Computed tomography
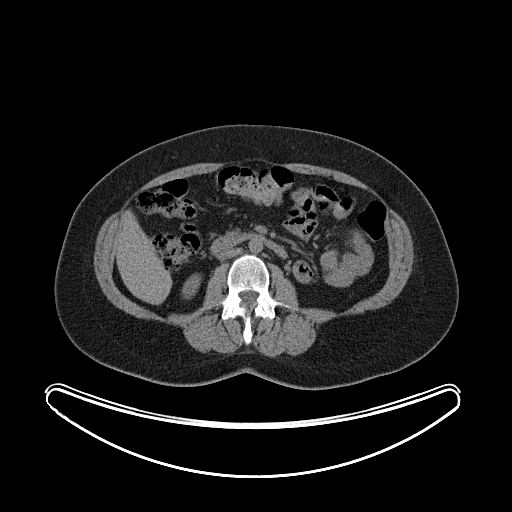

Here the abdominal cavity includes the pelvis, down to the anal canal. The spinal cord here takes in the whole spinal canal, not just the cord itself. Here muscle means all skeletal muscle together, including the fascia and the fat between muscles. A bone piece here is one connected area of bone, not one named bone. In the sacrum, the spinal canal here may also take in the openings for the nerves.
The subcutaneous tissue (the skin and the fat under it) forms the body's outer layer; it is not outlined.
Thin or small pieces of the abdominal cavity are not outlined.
abdominal cavity: (253, 160) (355, 186) (381, 200) (387, 209) (388, 245) (388, 274) (381, 288) (340, 311) (301, 307) (295, 286) (279, 266) (244, 253) (229, 267) (229, 262) (222, 263) (210, 272) (202, 304) (191, 312) (163, 316) (126, 296) (113, 277) (114, 254) (132, 199) (174, 178)
bones: (244, 254) (254, 255) (264, 262) (270, 277) (269, 293) (277, 301) (291, 307) (277, 305) (274, 308) (275, 316) (273, 318) (252, 315) (252, 337) (249, 344) (246, 344) (243, 338) (244, 320) (240, 316) (222, 319) (222, 305) (220, 303) (228, 292) (228, 270) (232, 262), around a hole outlined by (251, 290) (252, 291) (255, 291) (258, 293) (258, 295) (255, 300) (255, 304) (254, 304) (253, 305) (252, 304) (251, 305) (247, 305) (244, 303) (243, 303) (242, 304) (241, 303) (242, 302) (242, 299) (239, 296) (239, 293) (240, 292) (242, 292) (243, 291) (250, 291)
spinal cord: (251, 290) (252, 291) (255, 291) (258, 293) (258, 295) (255, 300) (255, 304) (254, 304) (253, 305) (252, 304) (251, 305) (247, 305) (244, 303) (243, 303) (242, 304) (241, 303) (242, 302) (242, 299) (239, 296) (239, 293) (240, 292) (242, 292) (243, 291) (250, 291)
muscle: (248, 157) (251, 158) (253, 157) (263, 157) (269, 160) (277, 161) (281, 163) (294, 163) (295, 162) (296, 163) (307, 163) (313, 165) (318, 165) (323, 167) (336, 169) (355, 177) (374, 189) (380, 194) (385, 200) (386, 203) (403, 218) (408, 226) (413, 241) (414, 261) (412, 265) (412, 271) (400, 293) (390, 303) (385, 306) (374, 310) (367, 310) (364, 313) (361, 314) (355, 314) (354, 315) (343, 316) (339, 318) (334, 318) (323, 323) (317, 331) (316, 339) (312, 345) (303, 353) (295, 356) (287, 355) (284, 353) (278, 355) (276, 357) (270, 357) (258, 352) (255, 348) (252, 346) (249, 347) (244, 346) (239, 349) (237, 352) (233, 354) (219, 353) (215, 351) (211, 351) (208, 353) (202, 353) (194, 349) (187, 342) (182, 333) (182, 330) (179, 327) (175, 327) (157, 321) (152, 321) (151, 320) (146, 320) (141, 318) (137, 318) (116, 307) (111, 303) (103, 293) (94, 272) (93, 255) (95, 250) (96, 237) (101, 225) (107, 217) (117, 211) (121, 207) (125, 200) (136, 189) (154, 177) (179, 167) (182, 167) (199, 162) (225, 162) (228, 160) (235, 158) (247, 158), around a hole outlined by (253, 160) (381, 200) (381, 288) (340, 311) (301, 307) (295, 286) (268, 262) (269, 293) (291, 307) (277, 305) (273, 318) (252, 315) (249, 344) (240, 316) (221, 318) (229, 262) (210, 272) (201, 306) (188, 313) (163, 316) (126, 296) (113, 277) (114, 254) (132, 199)
torso: (234, 123) (307, 128) (345, 137) (380, 153) (415, 182) (440, 222) (459, 285) (453, 323) (428, 354) (396, 372) (330, 389) (297, 389) (249, 373) (205, 385) (178, 387) (106, 367) (73, 345) (56, 314) (53, 283) (64, 235) (81, 198) (109, 170) (146, 147) (197, 129)